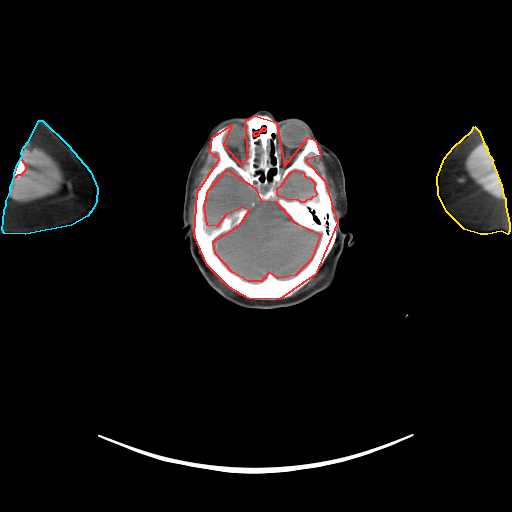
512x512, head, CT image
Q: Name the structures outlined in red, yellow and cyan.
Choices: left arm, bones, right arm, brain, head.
A: red: bones; yellow: left arm; cyan: right arm.
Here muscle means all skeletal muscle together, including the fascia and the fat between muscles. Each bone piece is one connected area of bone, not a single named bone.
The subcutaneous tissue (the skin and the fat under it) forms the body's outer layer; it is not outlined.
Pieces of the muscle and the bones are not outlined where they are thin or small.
{"bones":[{"outer":[[254,115],[276,122],[284,166],[308,137],[315,140],[320,155],[305,160],[324,180],[337,222],[315,274],[279,299],[248,298],[229,287],[207,265],[194,235],[197,192],[219,159],[210,152],[212,137],[231,125],[223,144],[241,165],[248,156],[245,121]],"holes":[[[227,169],[255,188],[260,200],[275,201],[294,222],[320,234],[311,259],[295,275],[278,278],[269,272],[261,281],[248,281],[232,272],[215,253],[213,241],[239,225],[249,210],[242,207],[225,215],[217,226],[207,225],[204,205],[208,190]],[[294,170],[297,170],[303,172],[304,175],[306,177],[310,178],[314,182],[314,189],[316,194],[315,196],[312,197],[310,199],[306,200],[304,202],[301,202],[297,199],[289,200],[283,197],[278,196],[277,193],[277,188],[281,185],[290,172]],[[263,127],[264,127],[265,128],[265,130],[264,131],[261,131],[260,132],[259,132],[258,133],[258,134],[257,135],[256,135],[255,136],[254,136],[254,132],[255,131],[259,131],[261,129],[261,128],[262,128]]]},[[21,157],[21,159],[25,165],[25,170],[20,175],[17,175],[16,176],[16,177],[15,177],[13,179],[13,178],[14,177],[14,173],[15,172],[15,170],[16,169],[16,167],[17,166],[17,164],[18,163],[18,162],[19,161],[19,160]]],"left_arm":[[[474,126],[479,131],[483,142],[487,148],[487,152],[493,160],[492,162],[501,185],[503,196],[505,198],[505,205],[509,224],[509,231],[507,234],[501,231],[487,234],[480,234],[464,229],[446,211],[438,194],[437,177],[444,158],[454,146],[471,131]]],"right_arm":[[[39,120],[42,120],[67,144],[90,171],[97,188],[96,201],[93,208],[87,216],[71,225],[25,234],[4,233],[2,230],[4,210],[6,205],[6,200],[10,192],[10,187],[14,177],[14,173],[17,164],[22,156],[21,153],[23,147],[28,141]]],"brain":[[[227,169],[255,188],[260,200],[275,201],[294,222],[320,234],[311,259],[295,275],[278,278],[269,272],[261,281],[248,281],[232,272],[215,253],[213,241],[239,225],[249,210],[242,207],[225,215],[217,226],[207,225],[204,205],[208,190]],[[294,170],[297,170],[303,172],[304,175],[306,177],[310,178],[314,182],[314,189],[316,194],[315,196],[312,197],[310,199],[306,200],[304,202],[301,202],[297,199],[289,200],[283,197],[278,196],[277,193],[277,188],[281,185],[290,172]]],"head":[{"outer":[[261,109],[277,119],[303,120],[338,157],[348,202],[339,226],[354,239],[349,246],[349,238],[344,238],[335,278],[327,288],[297,304],[271,309],[244,307],[221,296],[199,270],[188,242],[177,241],[186,232],[181,227],[187,175],[209,132],[226,118]],"hole":[[263,127],[264,127],[265,128],[265,130],[264,131],[261,131],[260,132],[259,132],[258,133],[258,134],[257,135],[256,135],[255,136],[254,136],[254,132],[255,131],[259,131],[261,129],[261,128],[262,128]]}],"muscle":[[[29,138],[33,140],[39,147],[53,156],[59,162],[65,173],[63,175],[64,183],[62,187],[53,194],[27,203],[19,203],[16,201],[9,200],[7,198],[10,192],[12,181],[17,176],[20,176],[26,170],[26,165],[22,159],[21,153],[24,145]],[[479,143],[485,144],[485,146],[487,148],[487,152],[493,160],[492,162],[496,170],[501,185],[502,193],[505,198],[505,201],[503,201],[500,198],[497,198],[493,196],[484,190],[480,185],[475,183],[468,175],[467,171],[464,167],[465,160],[469,153]],[[320,147],[328,154],[329,157],[333,161],[339,176],[340,201],[339,212],[336,218],[332,208],[332,194],[328,189],[328,186],[325,180],[323,179],[319,172],[313,166],[310,165],[306,160],[310,154],[313,154],[315,156],[320,156],[321,155]],[[210,142],[209,152],[212,154],[213,153],[217,154],[218,159],[216,164],[201,180],[197,189],[194,201],[194,205],[193,206],[193,232],[191,224],[189,222],[188,218],[188,207],[190,200],[190,191],[192,188],[194,176],[198,168],[200,160]],[[336,239],[336,246],[333,249],[331,253],[331,255],[327,262],[327,270],[325,273],[325,275],[319,281],[318,281],[317,283],[316,283],[307,290],[297,295],[291,296],[295,292],[304,286],[316,274],[316,273],[324,263],[326,258],[331,251],[336,241]],[[210,269],[229,288],[230,288],[238,294],[245,297],[243,297],[242,296],[240,296],[239,295],[234,295],[233,294],[231,294],[227,291],[226,291],[224,289],[223,289],[216,282],[216,281],[214,279],[214,278],[212,275],[212,273],[210,271]]]}